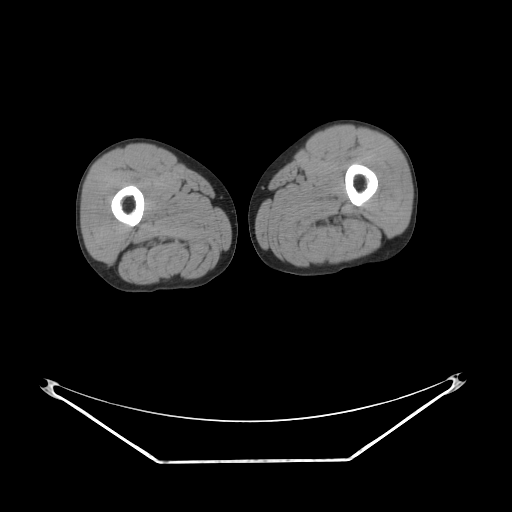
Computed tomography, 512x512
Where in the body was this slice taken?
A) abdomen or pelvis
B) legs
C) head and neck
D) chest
Answer: B) legs
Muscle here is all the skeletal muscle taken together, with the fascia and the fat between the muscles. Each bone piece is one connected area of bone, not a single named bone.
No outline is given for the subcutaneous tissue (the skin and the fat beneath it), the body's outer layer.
left leg: [[337,118],[354,118],[375,124],[393,135],[407,151],[414,168],[418,188],[417,215],[412,236],[406,246],[397,255],[386,261],[343,269],[335,274],[297,276],[274,270],[268,267],[259,258],[249,236],[247,215],[252,192],[264,170],[288,146],[317,125]]
bones 1: [[354,162],[357,162],[360,164],[362,164],[363,165],[367,166],[376,174],[377,176],[377,179],[378,180],[378,187],[377,188],[377,190],[371,197],[371,198],[361,206],[356,206],[354,205],[350,201],[345,190],[345,172],[348,166],[350,164]]
bones 2: [[129,184],[133,184],[135,185],[142,192],[143,196],[144,197],[144,210],[143,211],[143,215],[140,221],[136,225],[134,226],[129,226],[118,221],[113,215],[111,211],[111,207],[110,206],[111,199],[115,194],[115,193],[122,187],[126,185],[128,185]]
right leg: [[132,137],[156,139],[187,153],[206,166],[220,179],[233,200],[238,223],[238,235],[234,255],[227,268],[204,285],[190,289],[157,290],[149,293],[120,291],[104,281],[88,264],[81,252],[75,229],[75,200],[81,175],[92,158],[102,149],[112,143]]
muscle 1: [[346,123],[353,124],[356,126],[368,127],[381,132],[389,137],[404,155],[410,170],[413,185],[413,203],[409,224],[402,234],[368,256],[353,261],[308,269],[287,267],[263,250],[260,247],[256,238],[255,218],[261,187],[269,177],[312,134],[334,124]] with a hole at [[354,162],[357,162],[360,164],[362,164],[363,165],[367,166],[376,174],[377,176],[377,179],[378,180],[378,187],[377,188],[377,190],[371,197],[371,198],[361,206],[356,206],[354,205],[350,201],[345,190],[345,172],[348,166],[350,164]]
muscle 2: [[136,142],[150,143],[172,152],[212,183],[223,198],[231,226],[231,243],[228,252],[219,265],[205,276],[190,282],[182,283],[146,286],[131,285],[124,282],[99,262],[94,260],[88,253],[80,228],[80,199],[85,178],[91,166],[103,154],[117,147]]; inner edge: [[129,184],[133,184],[135,185],[142,192],[143,196],[144,197],[144,210],[143,211],[143,215],[140,221],[136,225],[134,226],[129,226],[118,221],[113,215],[111,211],[111,207],[110,206],[111,199],[115,194],[115,193],[122,187],[126,185],[128,185]]